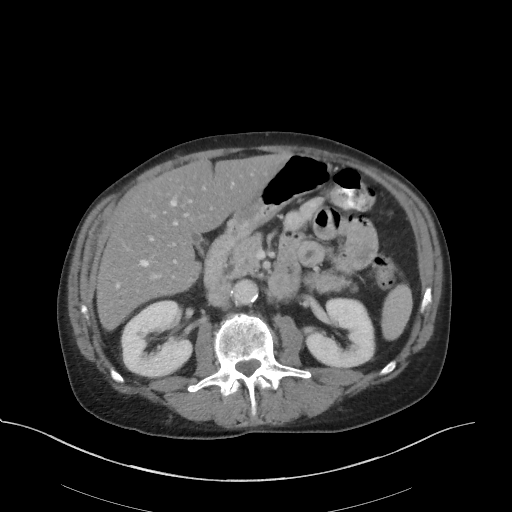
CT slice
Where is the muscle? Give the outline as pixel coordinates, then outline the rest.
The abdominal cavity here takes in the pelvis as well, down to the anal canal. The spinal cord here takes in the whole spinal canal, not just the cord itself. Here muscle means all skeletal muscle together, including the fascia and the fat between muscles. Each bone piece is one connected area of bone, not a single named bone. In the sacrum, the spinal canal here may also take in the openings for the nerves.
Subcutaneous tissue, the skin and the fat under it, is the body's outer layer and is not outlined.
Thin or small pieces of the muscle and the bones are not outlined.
Outlined structures:
muscle: [[274,144],[291,144],[292,145],[301,145],[302,146],[313,146],[351,156],[364,163],[374,166],[393,176],[406,185],[420,198],[428,209],[433,220],[437,233],[437,237],[439,241],[439,245],[442,256],[442,263],[443,264],[443,279],[441,288],[441,296],[436,312],[436,316],[434,321],[434,329],[431,337],[426,343],[425,346],[416,353],[414,353],[409,358],[409,363],[407,366],[395,377],[387,381],[372,385],[352,396],[347,396],[332,407],[315,416],[306,417],[303,419],[279,426],[270,425],[269,424],[262,424],[257,426],[246,426],[235,429],[227,429],[221,426],[207,425],[202,422],[197,422],[187,419],[170,410],[167,407],[158,403],[154,403],[141,396],[128,395],[115,390],[103,377],[103,375],[96,367],[95,364],[93,362],[86,359],[80,352],[76,342],[75,336],[73,333],[73,329],[68,313],[67,282],[68,281],[69,269],[78,235],[87,216],[102,198],[111,193],[116,192],[137,175],[146,169],[161,162],[169,161],[189,153],[208,149],[226,148],[227,147],[258,146],[259,145],[273,145]], around holes outlined by [[249,150],[355,167],[403,208],[431,302],[395,367],[303,366],[302,331],[276,313],[276,360],[311,376],[256,385],[254,416],[243,384],[226,396],[215,384],[187,389],[220,366],[210,322],[198,327],[191,376],[114,380],[93,299],[118,207],[175,165]] and by [[83,304],[84,305],[85,305],[87,308],[87,314],[89,317],[89,318],[88,319],[87,319],[86,318],[85,318],[85,317],[83,315],[83,314],[81,312],[81,310],[80,309],[80,308],[81,307],[81,305],[82,305]]
spinal cord: [[251,359],[255,359],[256,360],[259,361],[260,364],[259,365],[259,366],[257,368],[256,368],[254,370],[254,371],[250,375],[247,376],[246,375],[245,375],[242,372],[239,371],[236,368],[236,364],[237,363],[238,363],[241,361],[248,361]]
torso: [[269,130],[316,134],[367,152],[403,174],[433,207],[447,242],[452,272],[449,341],[436,384],[411,406],[341,432],[255,432],[221,439],[181,439],[145,435],[101,421],[78,403],[71,390],[56,320],[60,273],[82,214],[108,185],[171,146],[214,134]]
bones 1: [[239,312],[258,316],[267,323],[273,335],[274,356],[278,362],[311,373],[308,378],[284,376],[276,389],[256,385],[254,416],[251,414],[249,391],[243,384],[226,396],[215,384],[193,392],[187,389],[219,368],[214,351],[214,333],[228,316]]; inner edge: [[251,359],[255,359],[256,360],[259,361],[260,364],[259,365],[259,366],[257,368],[256,368],[254,370],[254,371],[250,375],[247,376],[246,375],[245,375],[242,372],[239,371],[236,368],[236,364],[237,363],[238,363],[241,361],[248,361]]
bones 2: [[427,287],[430,287],[431,288],[431,302],[429,304],[429,305],[428,306],[427,309],[426,309],[425,310],[425,311],[423,313],[421,313],[420,312],[420,310],[419,309],[420,308],[420,303],[421,302],[421,300],[423,297],[423,295],[424,294],[424,292]]
bones 3: [[394,359],[395,360],[395,361],[396,362],[396,365],[395,366],[395,367],[390,372],[389,372],[388,373],[387,373],[386,374],[384,374],[383,375],[379,375],[379,372],[380,371],[380,370],[386,364],[387,364],[391,360],[393,360]]
bones 4: [[112,367],[113,367],[123,377],[123,378],[124,379],[124,381],[123,382],[118,382],[117,381],[116,381],[115,380],[114,380],[112,378],[112,377],[111,376],[111,375],[110,374],[110,369]]
abdominal cavity: [[249,150],[323,156],[357,168],[395,197],[414,235],[421,286],[405,344],[367,373],[303,366],[304,336],[290,315],[276,313],[271,328],[258,315],[239,311],[217,329],[199,325],[191,376],[147,384],[123,376],[103,350],[93,304],[114,214],[160,172]]